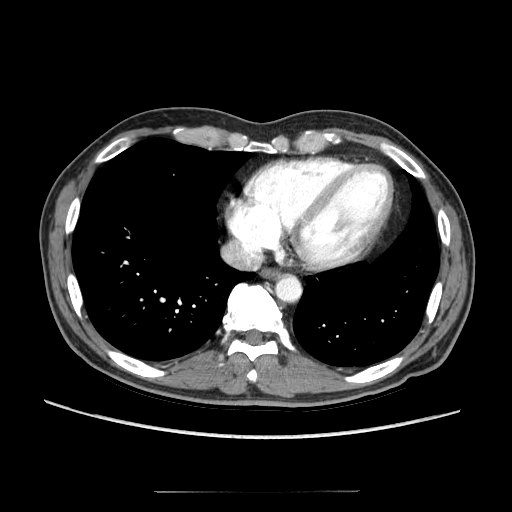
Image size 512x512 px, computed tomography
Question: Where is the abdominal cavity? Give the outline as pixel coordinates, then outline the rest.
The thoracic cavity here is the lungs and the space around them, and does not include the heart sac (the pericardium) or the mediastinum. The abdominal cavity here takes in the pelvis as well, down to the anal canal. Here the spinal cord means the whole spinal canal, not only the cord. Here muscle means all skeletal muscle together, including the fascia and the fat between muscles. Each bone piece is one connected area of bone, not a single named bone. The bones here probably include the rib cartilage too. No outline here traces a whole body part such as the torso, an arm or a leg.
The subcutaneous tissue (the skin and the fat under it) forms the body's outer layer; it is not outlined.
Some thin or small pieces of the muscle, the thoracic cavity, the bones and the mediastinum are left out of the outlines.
Answer: {"abdominal_cavity":[[[407,218],[406,223],[403,229],[397,235],[392,243],[384,251],[378,255],[373,260],[368,261],[374,258],[379,253],[380,250],[382,249],[384,244],[388,241],[390,238],[390,236],[391,236],[394,232],[394,230],[398,227],[400,223],[403,220],[406,220]]],"thoracic_cavity":[[[153,136],[173,138],[208,150],[252,153],[223,186],[216,201],[215,219],[221,259],[230,268],[254,272],[255,276],[231,288],[221,327],[214,340],[181,357],[150,364],[117,349],[94,327],[84,308],[74,272],[72,241],[82,198],[96,171],[136,142]],[[404,170],[421,185],[435,217],[439,239],[438,271],[421,324],[400,351],[378,363],[356,371],[354,367],[322,362],[294,343],[284,322],[292,323],[308,277],[314,276],[317,280],[320,273],[364,260],[371,262],[393,243],[404,229],[411,211],[412,191]]],"pericardium":[[[318,152],[372,156],[385,162],[395,178],[399,197],[397,209],[393,212],[381,243],[369,255],[353,263],[315,274],[282,267],[269,259],[262,261],[258,253],[236,244],[228,234],[221,214],[226,194],[235,193],[240,189],[242,176],[250,168],[270,158]]],"bones":[{"outer":[[240,282],[259,284],[269,292],[280,308],[282,320],[298,349],[297,352],[290,351],[278,341],[277,354],[264,353],[253,361],[240,351],[226,355],[225,353],[231,338],[221,344],[219,341],[221,336],[217,332],[222,327],[228,296],[232,288]],"hole":[[252,329],[255,329],[256,330],[257,330],[264,334],[264,339],[263,340],[263,341],[262,341],[260,343],[258,343],[257,344],[251,344],[250,343],[247,342],[244,339],[244,338],[243,337],[243,334],[246,331],[247,331],[248,330],[251,330]]},[[176,127],[214,127],[227,132],[245,134],[250,139],[259,141],[269,141],[278,135],[293,138],[304,130],[312,129],[318,132],[333,132],[339,135],[343,140],[340,144],[329,145],[315,153],[266,153],[261,151],[208,149],[176,140],[171,134],[172,130]],[[105,348],[108,348],[113,350],[118,350],[124,353],[126,355],[141,360],[150,365],[155,366],[160,369],[163,369],[166,371],[166,373],[164,375],[158,377],[147,377],[146,376],[141,376],[135,373],[132,373],[118,365],[113,360],[112,360],[106,353]],[[401,355],[403,355],[404,356],[404,359],[400,363],[400,364],[394,370],[389,372],[384,376],[382,376],[377,379],[374,379],[366,382],[348,382],[343,378],[344,376],[346,375],[350,375],[357,371],[359,371],[367,367],[378,364],[395,356],[400,356]],[[381,141],[386,141],[388,143],[393,144],[399,147],[417,163],[417,164],[423,170],[424,173],[426,175],[426,178],[425,179],[418,179],[416,178],[412,174],[408,172],[405,169],[402,168],[392,159],[391,159],[389,157],[382,153],[378,148],[378,145]],[[130,134],[132,134],[134,135],[133,137],[133,140],[134,141],[134,143],[132,145],[131,145],[128,148],[118,153],[110,159],[102,163],[94,163],[93,161],[95,157],[105,147],[106,147],[114,140],[122,136],[124,136],[125,135],[129,135]],[[69,272],[72,272],[74,273],[75,277],[77,280],[80,291],[81,292],[81,295],[83,300],[83,306],[81,309],[83,317],[81,319],[79,318],[76,312],[74,310],[72,303],[71,302],[71,299],[69,295],[69,292],[67,287],[67,275]],[[436,281],[441,281],[442,282],[442,292],[441,293],[441,297],[439,301],[439,304],[438,305],[437,311],[435,314],[435,316],[431,323],[429,324],[427,323],[427,318],[425,316],[425,310],[426,309],[426,306],[427,305],[427,303],[428,302],[431,291]],[[440,207],[443,207],[449,219],[449,224],[450,225],[450,239],[449,240],[449,244],[448,246],[445,246],[441,243],[440,241],[440,239],[439,238],[439,234],[438,233],[438,230],[437,229],[437,222],[436,221],[436,216],[437,215],[438,210]],[[75,196],[78,196],[81,200],[80,201],[79,214],[78,215],[78,217],[77,218],[77,221],[76,222],[76,224],[75,225],[75,227],[74,228],[73,232],[67,235],[65,232],[65,221],[66,220],[66,216],[67,215],[67,212],[68,211],[70,203]]],"spinal_cord":[[[252,329],[255,329],[256,330],[257,330],[264,334],[264,339],[263,340],[263,341],[262,341],[260,343],[258,343],[257,344],[251,344],[250,343],[247,342],[244,339],[244,338],[243,337],[243,334],[246,331],[247,331],[248,330],[251,330]]],"muscle":[{"outer":[[168,125],[214,126],[176,126],[172,137],[153,135],[135,142],[132,133],[114,139],[94,157],[93,163],[101,165],[81,199],[75,195],[70,201],[65,216],[64,232],[72,234],[73,272],[66,275],[72,308],[81,320],[83,307],[84,316],[116,349],[104,351],[118,366],[141,377],[162,377],[167,371],[154,363],[186,356],[219,335],[221,345],[230,338],[224,353],[228,357],[240,352],[253,362],[264,354],[277,355],[278,342],[290,352],[300,349],[327,365],[354,368],[342,378],[348,383],[377,380],[401,364],[405,356],[396,355],[416,335],[424,317],[429,325],[438,311],[443,292],[443,282],[436,280],[440,242],[445,247],[450,244],[450,219],[443,206],[435,216],[419,181],[427,175],[399,146],[386,140],[378,143],[378,150],[342,143],[343,138],[333,131],[313,129],[336,127],[379,135],[423,164],[454,208],[461,228],[468,276],[454,323],[435,347],[391,376],[357,388],[291,397],[265,393],[253,385],[239,394],[172,387],[109,364],[72,330],[56,303],[47,255],[50,224],[61,189],[114,136]],"hole":[[252,368],[253,368],[256,371],[256,372],[257,373],[257,377],[256,378],[256,380],[255,381],[255,382],[251,382],[248,379],[248,378],[247,377],[247,373],[250,370],[250,369],[251,369]]}],"mediastinum":[[[255,152],[300,154],[270,157],[250,167],[239,179],[239,189],[225,194],[220,218],[233,242],[258,254],[262,262],[317,274],[317,279],[306,278],[291,323],[283,320],[281,308],[265,287],[247,282],[256,273],[230,267],[219,251],[218,198],[230,177]],[[349,143],[360,144],[377,150],[392,160],[403,169],[411,191],[408,217],[403,219],[393,230],[378,253],[367,261],[365,259],[358,261],[369,256],[382,243],[394,212],[398,209],[400,192],[396,178],[385,161],[372,155],[321,152],[329,146]]]}